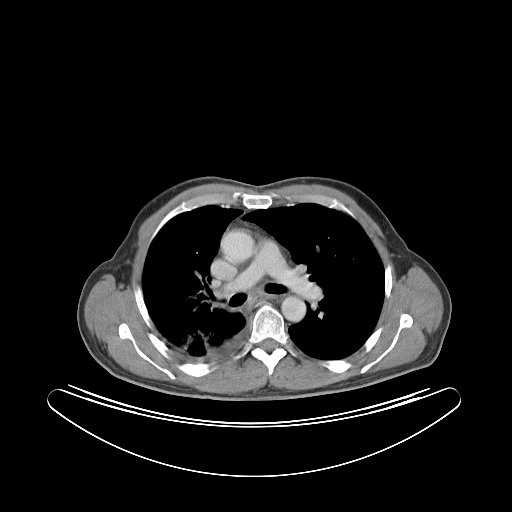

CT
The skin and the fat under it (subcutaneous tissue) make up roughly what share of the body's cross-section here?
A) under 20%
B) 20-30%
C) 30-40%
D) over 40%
A) under 20%
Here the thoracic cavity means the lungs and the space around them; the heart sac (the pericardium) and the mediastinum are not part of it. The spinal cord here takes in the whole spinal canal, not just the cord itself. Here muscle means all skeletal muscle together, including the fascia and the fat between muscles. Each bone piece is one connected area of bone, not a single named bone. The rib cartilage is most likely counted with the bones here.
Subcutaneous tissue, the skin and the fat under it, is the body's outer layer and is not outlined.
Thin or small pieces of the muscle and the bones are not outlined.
The muscle is outlined by 207 183; 230 184; 235 186; 250 188; 258 192; 261 192; 267 189; 278 188; 291 184; 321 184; 336 188; 351 196; 380 227; 385 237; 384 240; 388 249; 390 258; 394 263; 394 267; 397 277; 398 278; 405 274; 408 269; 413 265; 413 263; 416 263; 426 272; 430 278; 436 284; 441 293; 443 301; 443 312; 439 326; 432 335; 427 339; 427 343; 419 356; 414 360; 407 363; 378 370; 371 373; 353 376; 321 387; 316 387; 310 389; 302 389; 300 391; 288 391; 287 390; 274 389; 267 387; 263 390; 257 392; 238 393; 237 394; 215 393; 214 392; 201 391; 186 385; 180 385; 164 380; 158 380; 153 378; 143 377; 132 373; 120 366; 97 343; 90 334; 85 323; 85 318; 84 317; 84 304; 86 298; 91 288; 98 280; 99 277; 106 273; 112 274; 115 277; 116 280; 120 283; 125 283; 126 284; 128 283; 131 274; 131 263; 137 248; 136 247; 136 243; 138 238; 138 230; 143 221; 170 199; 182 191; 193 186; 197 186 with holes at 236 191; 276 193; 273 207; 285 205; 286 196; 295 203; 304 194; 335 198; 354 214; 382 265; 391 265; 390 295; 375 325; 382 331; 367 352; 360 347; 345 358; 352 364; 345 371; 331 371; 293 343; 297 356; 288 352; 271 375; 249 352; 215 361; 214 370; 192 376; 176 366; 181 359; 171 351; 166 358; 148 337; 149 332; 160 336; 145 323; 133 282; 142 286; 152 233; 183 201 and at 402 313; 407 313; 412 317; 413 322; 411 326; 410 327; 404 327; 402 328; 399 333; 398 338; 394 346; 378 362; 372 365; 365 372; 363 373; 360 373; 360 370; 364 365; 376 359; 390 345; 399 326; 399 319; 400 318; 400 315 and at 123 322; 126 323; 129 327; 129 329; 136 342; 136 344; 142 352; 158 365; 169 370; 175 376; 174 379; 172 379; 166 373; 158 369; 147 360; 140 356; 136 351; 134 345; 130 339; 128 338; 120 338; 118 332; 118 328; 119 325. The bones appear in 11 outlined pieces: piece 1: 264 304; 270 304; 281 314; 284 325; 287 328; 289 339; 297 352; 297 356; 293 356; 288 352; 282 357; 275 365; 271 375; 268 374; 266 365; 261 360; 252 356; 249 352; 238 359; 233 358; 242 349; 250 335; 252 318; 255 312; inner edge: 267 338; 271 338; 272 339; 273 339; 275 341; 276 341; 278 344; 277 345; 277 346; 272 351; 271 351; 270 352; 267 352; 265 350; 264 350; 262 348; 261 348; 259 346; 259 344; 263 340; 264 340; piece 2: 236 191; 249 194; 276 193; 277 196; 272 199; 271 206; 256 209; 247 208; 241 204; 240 198; 236 204; 229 207; 206 204; 184 211; 172 217; 161 227; 149 244; 146 254; 149 239; 158 224; 168 212; 183 201; 206 194; 229 196; piece 3: 304 194; 321 194; 322 195; 325 195; 332 198; 335 198; 341 202; 347 208; 348 208; 354 214; 356 218; 355 219; 353 218; 347 213; 343 211; 341 211; 334 208; 331 208; 316 202; 310 202; 309 201; 298 202; 295 199; 297 197; piece 4: 402 313; 407 313; 412 317; 413 322; 411 326; 410 327; 404 327; 402 328; 399 333; 398 338; 394 346; 378 362; 372 365; 365 372; 363 373; 360 373; 360 370; 364 365; 376 359; 390 345; 399 326; 399 319; 400 318; 400 315; piece 5: 123 322; 126 323; 129 327; 129 329; 136 342; 136 344; 142 352; 158 365; 169 370; 175 376; 174 379; 172 379; 166 373; 158 369; 147 360; 140 356; 136 351; 134 345; 130 339; 128 338; 120 338; 118 332; 118 328; 119 325; piece 6: 198 362; 202 362; 203 363; 214 363; 214 365; 216 366; 216 368; 214 370; 204 375; 202 375; 201 376; 192 376; 191 375; 189 375; 183 372; 181 370; 180 370; 176 366; 177 364; 180 364; 181 363; 197 363; piece 7: 133 282; 136 283; 141 287; 144 303; 146 306; 148 314; 151 320; 153 322; 153 324; 154 325; 154 327; 152 329; 149 328; 147 326; 138 309; 138 307; 135 300; 135 296; 134 295; piece 8: 340 359; 345 359; 349 362; 350 362; 352 364; 352 365; 348 369; 347 369; 345 371; 344 371; 343 372; 341 372; 340 373; 337 373; 336 372; 331 371; 329 369; 328 369; 326 367; 321 365; 319 363; 319 361; 320 360; 339 360; piece 9: 149 332; 152 332; 155 335; 156 335; 166 345; 166 346; 169 349; 169 350; 170 351; 170 352; 169 353; 169 356; 170 357; 169 358; 166 358; 154 346; 154 345; 152 343; 152 342; 150 340; 150 339; 148 337; 148 333; piece 10: 380 326; 382 326; 383 327; 383 328; 382 329; 382 331; 380 333; 380 335; 379 336; 378 339; 376 341; 375 344; 367 352; 364 352; 364 349; 361 347; 366 341; 366 340; 369 337; 369 336; 374 331; 374 330; 376 328; 377 328; piece 11: 388 263; 389 263; 391 265; 391 280; 392 281; 392 284; 391 285; 391 290; 390 291; 390 295; 389 296; 389 297; 388 298; 385 298; 385 273; 384 272; 384 267. The spinal cord is outlined by 267 338; 271 338; 272 339; 273 339; 275 341; 276 341; 278 344; 277 345; 277 346; 272 351; 271 351; 270 352; 267 352; 265 350; 264 350; 262 348; 261 348; 259 346; 259 344; 263 340; 264 340. The torso is outlined by 204 175; 255 185; 294 176; 325 176; 346 181; 365 192; 407 246; 436 270; 449 291; 451 317; 433 363; 358 389; 271 401; 223 401; 170 395; 119 379; 102 367; 86 348; 77 325; 77 304; 85 280; 113 255; 146 202; 175 183. The thoracic cavity appears in 2 outlined pieces: piece 1: 304 202; 316 203; 343 212; 356 220; 371 241; 383 266; 384 298; 375 327; 362 345; 345 358; 321 359; 311 356; 292 342; 287 329; 301 322; 307 312; 303 268; 273 235; 256 223; 243 219; 244 215; 257 209; 292 206; piece 2: 206 205; 241 210; 227 224; 219 238; 217 250; 209 264; 209 275; 225 303; 234 312; 239 312; 247 320; 251 320; 251 329; 241 349; 225 359; 214 362; 184 362; 159 337; 145 303; 142 274; 150 244; 162 227; 175 216. The mediastinum is outlined by 232 206; 253 209; 244 214; 242 219; 256 224; 273 236; 301 266; 306 306; 301 321; 286 327; 282 314; 270 303; 258 307; 251 319; 247 319; 239 311; 234 311; 218 291; 210 275; 210 264; 228 224; 242 213; 240 208.